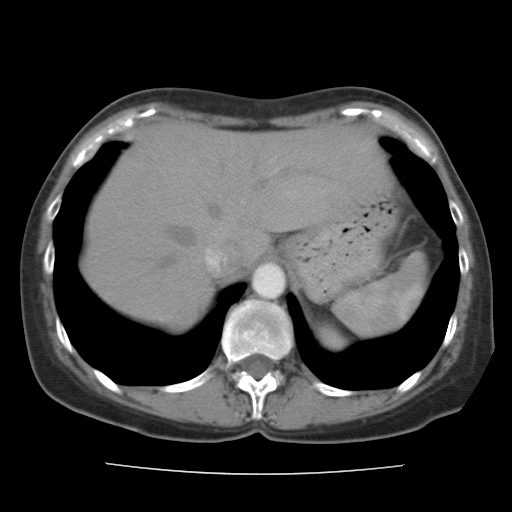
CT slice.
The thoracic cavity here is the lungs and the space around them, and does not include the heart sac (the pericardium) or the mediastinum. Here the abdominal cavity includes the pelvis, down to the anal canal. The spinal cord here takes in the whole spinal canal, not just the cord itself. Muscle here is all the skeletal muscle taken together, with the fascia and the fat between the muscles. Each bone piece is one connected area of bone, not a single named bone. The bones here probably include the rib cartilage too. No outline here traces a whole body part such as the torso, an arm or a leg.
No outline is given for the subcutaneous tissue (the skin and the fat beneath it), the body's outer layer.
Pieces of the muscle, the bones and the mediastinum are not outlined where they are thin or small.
{"bones":[{"outer":[[246,299],[277,304],[288,314],[293,330],[294,345],[277,366],[283,378],[266,394],[262,418],[251,417],[251,397],[236,386],[231,376],[234,367],[215,367],[208,380],[186,391],[158,390],[158,386],[189,380],[215,362],[226,363],[220,345],[225,318]],"hole":[[253,354],[260,354],[261,355],[263,355],[269,358],[271,360],[272,360],[274,363],[273,368],[271,370],[268,371],[261,378],[259,379],[255,379],[246,371],[242,370],[240,368],[240,365],[239,364],[240,363],[240,361],[241,361],[246,357],[248,357]]},[[349,107],[362,107],[368,109],[379,109],[397,117],[412,127],[426,139],[432,147],[433,153],[437,157],[435,163],[431,165],[416,155],[408,147],[403,139],[393,131],[375,121],[370,115],[367,114],[343,115],[341,114],[340,111],[342,109]],[[150,107],[155,108],[156,112],[154,114],[142,118],[137,118],[134,120],[134,124],[131,127],[123,131],[115,133],[108,137],[101,144],[94,155],[77,169],[72,165],[72,158],[82,144],[89,137],[92,136],[96,132],[117,118],[130,113],[139,113]],[[317,380],[319,380],[323,383],[325,383],[333,387],[336,387],[337,388],[339,388],[340,389],[344,389],[345,390],[352,390],[353,391],[355,391],[355,393],[351,395],[346,395],[345,396],[332,396],[331,395],[326,395],[320,392],[312,385],[313,382]],[[51,239],[52,239],[53,241],[53,245],[54,246],[54,250],[55,251],[55,253],[54,254],[54,262],[53,263],[53,270],[52,271],[52,274],[51,275],[49,275],[45,272],[43,268],[43,258],[44,257],[44,253],[45,252],[46,247],[49,241]],[[57,314],[65,329],[65,331],[68,336],[68,338],[70,341],[70,343],[75,349],[75,351],[73,353],[70,353],[64,347],[64,346],[61,343],[61,342],[57,335],[57,332],[56,331],[56,324],[55,323],[55,318],[56,317],[56,315]],[[93,367],[94,368],[96,368],[98,369],[100,371],[104,373],[109,378],[110,378],[114,382],[115,382],[119,386],[121,390],[121,393],[117,393],[116,392],[114,392],[110,390],[105,386],[104,386],[98,380],[95,374],[93,372],[93,370],[92,369]],[[453,312],[455,313],[456,315],[456,317],[457,318],[457,324],[456,325],[456,328],[455,329],[454,334],[449,344],[444,348],[441,348],[440,346],[445,336],[445,333],[447,329],[447,326],[449,322],[449,319]],[[419,370],[421,370],[421,374],[419,376],[416,383],[414,385],[413,385],[408,390],[407,390],[404,392],[402,392],[401,393],[400,392],[397,391],[396,388],[399,384],[400,384],[403,381],[404,381],[412,374],[413,374],[415,372],[416,372]],[[60,193],[62,193],[62,196],[61,197],[61,203],[60,204],[59,209],[56,215],[52,220],[52,221],[50,222],[47,219],[46,217],[46,211],[47,210],[47,208],[49,206],[51,202],[56,197],[56,196]]],"spinal_cord":[[[253,354],[260,354],[261,355],[263,355],[269,358],[271,360],[272,360],[274,363],[273,368],[271,370],[268,371],[261,378],[259,379],[255,379],[246,371],[242,370],[240,368],[240,365],[239,364],[240,363],[240,361],[241,361],[246,357],[248,357]]],"mediastinum":[[[266,262],[275,262],[281,265],[285,270],[288,282],[288,293],[286,296],[286,304],[288,313],[280,305],[275,302],[266,301],[257,298],[246,298],[230,308],[240,299],[245,292],[247,288],[247,284],[250,279],[250,276],[252,275],[254,270],[258,266]]],"muscle":[{"outer":[[356,100],[374,102],[388,106],[398,111],[408,119],[415,122],[430,136],[439,150],[444,164],[448,171],[450,179],[468,215],[470,223],[469,238],[475,260],[475,265],[473,270],[473,288],[471,292],[472,293],[472,302],[468,310],[468,316],[466,320],[466,327],[464,334],[464,341],[459,356],[457,360],[441,378],[402,404],[387,411],[369,416],[364,419],[356,419],[331,425],[324,424],[315,427],[309,425],[302,429],[278,429],[267,423],[262,423],[257,421],[256,422],[250,421],[242,425],[234,427],[216,427],[198,423],[191,422],[185,423],[175,421],[137,410],[108,398],[98,396],[93,390],[91,390],[84,384],[58,359],[52,348],[50,339],[46,331],[46,325],[43,314],[43,308],[38,286],[38,281],[35,277],[35,253],[39,236],[38,230],[42,207],[55,184],[56,179],[69,153],[86,132],[110,115],[124,108],[150,101],[168,102],[177,104],[185,109],[195,110],[200,112],[207,112],[212,114],[221,114],[226,116],[238,116],[259,119],[287,115],[296,115],[316,109],[325,108],[340,103]],"hole":[[150,107],[156,112],[135,119],[135,124],[169,118],[208,126],[278,127],[312,126],[331,116],[342,116],[342,109],[362,107],[385,111],[426,139],[437,157],[431,167],[463,217],[455,235],[458,246],[466,252],[469,269],[459,278],[454,334],[421,369],[414,385],[401,393],[392,386],[358,389],[345,396],[326,395],[312,385],[318,378],[298,357],[294,345],[277,366],[283,378],[266,394],[262,418],[253,419],[250,395],[237,387],[231,376],[234,367],[215,367],[208,380],[186,391],[119,384],[121,393],[117,393],[98,380],[93,367],[76,350],[70,353],[64,347],[56,331],[53,276],[43,268],[44,253],[53,238],[47,208],[77,170],[72,158],[89,137],[117,118]]}],"abdominal_cavity":[[[331,116],[373,120],[398,136],[380,143],[442,239],[443,261],[399,331],[339,353],[320,348],[275,261],[258,265],[247,283],[226,288],[209,316],[183,336],[119,315],[80,276],[76,260],[88,204],[124,146],[108,139],[155,118],[307,127]]],"thoracic_cavity":[[[108,141],[119,141],[123,146],[87,204],[75,260],[77,272],[91,293],[133,323],[170,337],[183,337],[210,316],[226,289],[246,284],[242,295],[226,313],[219,351],[205,369],[183,381],[162,385],[118,384],[80,355],[56,310],[52,222],[72,176]],[[385,137],[406,144],[431,166],[442,184],[456,227],[457,297],[442,341],[421,369],[396,386],[345,389],[318,379],[298,357],[288,294],[297,301],[311,342],[328,353],[339,354],[403,329],[420,309],[445,258],[442,236],[392,165],[393,155],[381,143]]]}